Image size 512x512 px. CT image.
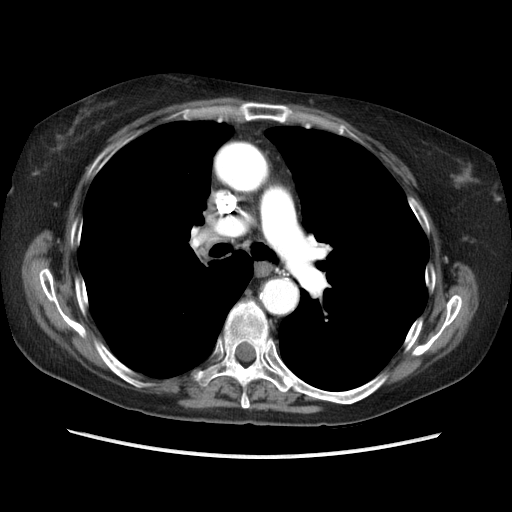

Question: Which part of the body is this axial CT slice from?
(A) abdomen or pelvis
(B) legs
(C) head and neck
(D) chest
Answer: (D) chest
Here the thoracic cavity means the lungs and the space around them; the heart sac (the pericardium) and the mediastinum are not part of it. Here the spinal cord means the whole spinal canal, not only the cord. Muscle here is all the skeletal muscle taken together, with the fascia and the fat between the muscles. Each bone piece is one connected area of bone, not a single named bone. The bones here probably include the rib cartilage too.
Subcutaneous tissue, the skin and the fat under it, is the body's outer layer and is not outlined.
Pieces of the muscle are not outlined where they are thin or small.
spinal cord: [[243,342],[245,342],[246,343],[249,344],[253,348],[253,349],[254,350],[254,352],[255,353],[255,356],[254,357],[253,360],[252,360],[249,362],[247,362],[246,361],[243,362],[242,361],[239,360],[236,356],[236,348],[238,346],[238,345],[239,345]]
torso: [[172,71],[367,100],[421,119],[488,152],[505,198],[511,273],[502,321],[482,361],[459,381],[393,411],[355,424],[317,427],[215,424],[150,416],[104,401],[34,366],[17,347],[12,335],[0,272],[4,208],[24,146],[35,125],[56,110],[120,81]]
muscle 1: [[92,162],[86,175],[92,180],[81,216],[72,221],[69,242],[73,250],[77,248],[80,273],[74,276],[73,285],[78,307],[84,317],[89,310],[105,343],[93,339],[97,353],[114,374],[137,388],[156,384],[143,380],[142,375],[168,379],[190,371],[190,377],[201,387],[214,378],[231,377],[241,387],[240,407],[184,407],[168,397],[114,383],[82,365],[38,324],[23,288],[23,256],[44,229],[63,238],[74,191]], around a hole outlined by [[44,268],[48,268],[52,274],[53,277],[53,286],[55,291],[55,295],[61,309],[66,315],[71,319],[79,323],[85,329],[86,334],[84,337],[82,337],[63,319],[62,316],[58,311],[55,303],[53,301],[49,300],[45,294],[39,278],[39,272]]
muscle 2: [[286,103],[302,104],[340,117],[398,157],[414,176],[418,186],[415,192],[437,230],[443,281],[452,282],[450,268],[456,261],[468,265],[475,274],[478,306],[459,343],[420,372],[369,397],[386,381],[388,375],[381,372],[392,357],[401,347],[404,353],[408,352],[421,332],[424,322],[421,315],[428,293],[431,295],[436,285],[434,265],[428,262],[430,224],[421,204],[412,195],[406,195],[380,160],[344,124],[291,108]]; inner edge: [[455,294],[457,294],[461,297],[462,302],[461,303],[460,309],[454,319],[444,328],[439,336],[431,344],[427,350],[420,355],[413,355],[411,352],[415,347],[418,345],[425,343],[439,330],[445,320],[446,312],[447,311],[446,310],[447,302],[448,300]]
muscle 3: [[259,379],[263,379],[271,382],[280,392],[283,393],[292,389],[295,392],[309,396],[314,399],[327,401],[339,404],[339,405],[331,406],[322,411],[317,411],[312,413],[293,413],[275,410],[248,409],[250,407],[250,400],[247,394],[247,386],[250,382]]
muscle 4: [[218,97],[239,97],[248,101],[238,105],[214,104],[198,107],[186,107],[169,115],[165,119],[167,121],[160,123],[139,135],[138,134],[140,131],[137,130],[128,136],[122,137],[104,147],[107,143],[107,139],[111,135],[125,125],[145,114],[172,104]]
mediastinum: [[229,119],[301,125],[264,131],[292,174],[302,225],[315,240],[308,285],[300,289],[297,306],[281,320],[276,333],[270,333],[266,314],[254,300],[238,301],[253,275],[248,254],[238,249],[218,259],[206,253],[202,228],[213,157],[234,133],[223,121]]
thoracic cavity 1: [[174,120],[216,120],[232,126],[233,133],[212,157],[210,191],[201,228],[209,257],[223,260],[241,250],[252,260],[252,275],[227,313],[221,333],[204,363],[179,375],[153,378],[128,367],[107,347],[89,309],[78,247],[83,206],[95,176],[126,144]]
thoracic cavity 2: [[280,126],[314,127],[347,137],[369,150],[402,188],[428,241],[424,269],[427,299],[421,314],[381,371],[354,388],[334,391],[306,382],[282,360],[271,335],[298,306],[300,291],[309,285],[316,262],[316,240],[303,225],[293,174],[265,135],[266,130]]
bones 1: [[247,300],[265,314],[281,360],[306,383],[338,392],[357,388],[380,373],[387,375],[385,381],[363,399],[340,404],[292,388],[283,392],[259,378],[246,386],[248,408],[241,407],[242,387],[231,376],[220,375],[201,386],[191,370],[210,356],[232,307]] with a hole at [[243,342],[245,342],[246,343],[249,344],[253,348],[253,349],[254,350],[254,352],[255,353],[255,356],[254,357],[253,360],[252,360],[249,362],[247,362],[246,361],[243,362],[242,361],[239,360],[236,356],[236,348],[238,346],[238,345],[239,345]]
bones 2: [[249,101],[284,104],[294,110],[324,117],[344,125],[365,146],[347,136],[328,130],[314,126],[307,128],[301,124],[282,123],[272,119],[259,118],[240,121],[231,118],[222,121],[174,119],[168,121],[166,119],[169,116],[186,108],[214,105],[238,106]]
bones 3: [[94,339],[97,339],[103,343],[110,351],[110,352],[120,362],[121,362],[128,368],[140,374],[141,375],[141,379],[143,381],[148,381],[149,382],[152,382],[155,384],[151,386],[137,387],[122,379],[119,376],[114,373],[104,362],[98,353],[94,345]]
bones 4: [[44,268],[48,268],[52,274],[53,277],[53,286],[55,291],[55,295],[61,309],[66,315],[71,319],[79,323],[85,329],[86,334],[84,337],[82,337],[63,319],[62,316],[58,311],[55,303],[53,301],[49,300],[45,294],[39,278],[39,272]]
bones 5: [[455,294],[457,294],[461,297],[462,302],[461,303],[460,309],[454,319],[444,328],[439,336],[431,344],[427,350],[420,355],[413,355],[411,352],[415,347],[418,345],[425,343],[439,330],[445,320],[446,312],[447,311],[446,310],[447,302],[448,300]]
bones 6: [[137,131],[139,131],[139,132],[133,139],[118,149],[103,165],[103,166],[92,179],[88,179],[87,175],[88,174],[88,171],[89,169],[91,167],[96,157],[100,153],[100,152],[104,149],[104,148],[105,148],[108,145],[122,138],[128,137]]
bones 7: [[79,274],[81,274],[83,278],[84,284],[85,285],[85,289],[86,290],[86,293],[87,294],[88,309],[86,313],[86,316],[84,316],[83,315],[79,307],[78,301],[77,300],[77,297],[76,296],[76,292],[75,291],[74,278],[76,275],[78,275]]
bones 8: [[407,195],[410,195],[412,196],[420,204],[420,205],[424,210],[425,212],[425,214],[427,217],[427,220],[428,221],[428,223],[429,224],[429,234],[428,235],[426,235],[424,230],[419,223],[415,214],[410,207],[408,203],[408,200],[407,199]]
bones 9: [[420,316],[422,316],[423,318],[423,322],[422,323],[422,326],[421,327],[420,332],[418,336],[416,338],[415,341],[413,343],[412,346],[410,348],[410,349],[408,351],[404,352],[403,351],[403,347],[402,346],[403,342],[412,324],[415,321],[415,320]]
bones 10: [[76,217],[82,217],[82,226],[81,227],[81,234],[80,235],[80,240],[79,241],[79,245],[76,248],[73,249],[71,246],[71,243],[70,242],[70,239],[71,238],[71,228],[72,227],[72,224],[73,223],[73,221],[75,219],[75,218]]
bones 11: [[428,263],[430,264],[432,264],[433,265],[433,267],[435,271],[435,285],[433,289],[433,292],[431,294],[429,294],[428,292],[428,289],[425,283],[425,269]]